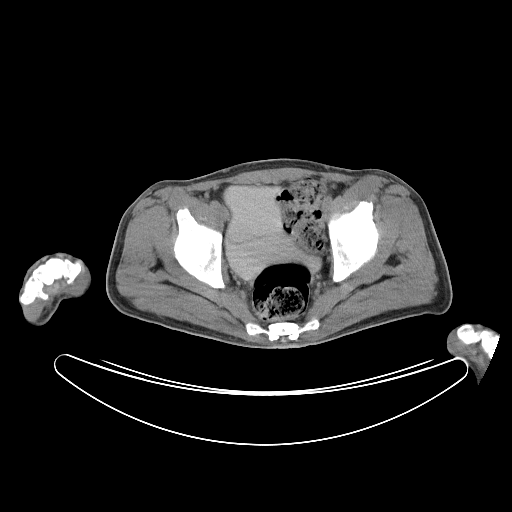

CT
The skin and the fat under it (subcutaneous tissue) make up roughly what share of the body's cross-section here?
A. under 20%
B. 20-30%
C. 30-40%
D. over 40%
Answer: A. under 20%
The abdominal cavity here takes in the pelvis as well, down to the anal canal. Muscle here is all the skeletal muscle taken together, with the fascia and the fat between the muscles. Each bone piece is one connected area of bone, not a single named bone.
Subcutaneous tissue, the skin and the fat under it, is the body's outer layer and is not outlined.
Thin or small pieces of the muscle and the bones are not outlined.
The torso is outlined by (270, 158) (309, 159) (350, 169) (378, 168) (393, 173) (409, 184) (427, 206) (445, 257) (453, 293) (448, 310) (439, 315) (422, 314) (404, 318) (297, 349) (241, 347) (173, 330) (119, 312) (108, 299) (105, 277) (117, 226) (126, 208) (157, 181) (185, 180) (237, 163). The muscle appears in 3 outlined pieces: piece 1: (282, 167) (335, 172) (351, 176) (378, 173) (401, 183) (409, 191) (418, 208) (434, 260) (438, 288) (431, 302) (382, 312) (315, 340) (262, 344) (138, 309) (118, 291) (116, 271) (121, 258) (125, 232) (135, 206) (151, 189) (160, 185) (185, 186) (225, 178) (242, 172); inner edge: (308, 176) (343, 183) (327, 221) (361, 200) (373, 203) (377, 250) (338, 282) (330, 254) (329, 277) (298, 323) (314, 317) (317, 329) (296, 340) (250, 335) (245, 324) (260, 322) (224, 258) (224, 288) (198, 280) (175, 258) (176, 212) (186, 207) (222, 232) (221, 184); piece 2: (84, 270) (86, 273) (86, 281) (79, 290) (74, 293) (61, 293) (56, 295) (36, 319) (31, 319) (28, 316) (26, 305) (31, 304) (37, 298) (42, 300) (49, 298) (49, 295) (43, 290) (45, 285) (49, 286) (55, 280) (61, 278) (66, 279) (67, 284) (72, 284); piece 3: (455, 333) (456, 333) (457, 338) (465, 345) (479, 343) (480, 347) (489, 359) (489, 364) (487, 366) (487, 368) (484, 372) (481, 368) (479, 368) (478, 366) (473, 361) (469, 359) (467, 356) (458, 354) (454, 351) (452, 347) (451, 340) (452, 339) (452, 336). The right arm is outlined by (57, 251) (69, 253) (83, 260) (87, 264) (91, 271) (92, 275) (91, 285) (89, 289) (81, 297) (62, 300) (55, 312) (45, 324) (41, 326) (31, 325) (25, 321) (19, 304) (19, 289) (22, 285) (23, 277) (28, 267) (37, 259) (46, 254) (53, 253). The bones appear in 5 outlined pieces: piece 1: (361, 200) (371, 201) (373, 203) (373, 211) (372, 212) (373, 221) (380, 236) (377, 243) (377, 250) (374, 256) (370, 260) (364, 263) (346, 278) (338, 282) (334, 282) (332, 280) (333, 258) (331, 252) (327, 223) (329, 218) (333, 214) (340, 214) (348, 212) (352, 210); piece 2: (183, 207) (188, 208) (190, 213) (197, 222) (213, 229) (218, 230) (222, 233) (221, 273) (225, 285) (224, 288) (215, 288) (204, 282) (198, 280) (188, 273) (179, 264) (175, 258) (173, 246) (174, 245) (174, 240) (178, 234) (178, 224) (176, 219) (176, 212) (180, 208); piece 3: (51, 257) (66, 258) (73, 262) (79, 260) (82, 262) (85, 269) (78, 274) (72, 283) (67, 283) (67, 279) (61, 277) (55, 279) (49, 285) (45, 284) (42, 290) (48, 295) (47, 299) (37, 297) (29, 304) (22, 304) (19, 297) (23, 291) (24, 283) (37, 266); piece 4: (314, 317) (319, 321) (318, 328) (314, 330) (306, 330) (301, 332) (296, 340) (290, 340) (285, 336) (271, 341) (265, 333) (258, 333) (254, 335) (248, 334) (245, 327) (245, 324) (248, 322) (257, 323) (263, 327) (266, 327) (267, 325) (275, 322) (294, 322) (301, 326); piece 5: (464, 324) (469, 324) (471, 325) (476, 331) (486, 329) (487, 330) (492, 331) (498, 335) (499, 337) (496, 344) (496, 347) (493, 352) (492, 357) (490, 359) (488, 357) (487, 354) (481, 347) (481, 345) (479, 342) (465, 344) (458, 338) (457, 336) (457, 329) (460, 326). The left arm is outlined by (464, 323) (481, 323) (493, 328) (498, 332) (498, 336) (499, 337) (496, 344) (496, 347) (493, 352) (492, 357) (489, 360) (489, 364) (478, 383) (476, 383) (474, 373) (470, 369) (468, 364) (460, 356) (455, 354) (451, 355) (446, 348) (446, 338) (450, 330) (454, 327). The abdominal cavity is outlined by (308, 176) (319, 176) (328, 181) (343, 183) (343, 191) (329, 203) (325, 210) (331, 253) (329, 277) (311, 305) (304, 321) (260, 323) (249, 309) (245, 292) (232, 285) (230, 281) (223, 257) (222, 232) (227, 210) (219, 200) (217, 189) (224, 183) (267, 184).